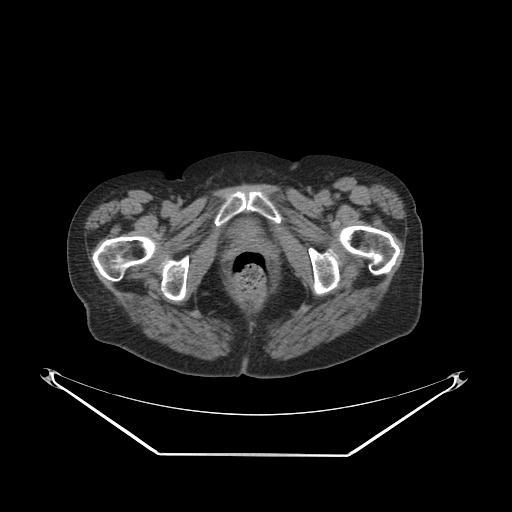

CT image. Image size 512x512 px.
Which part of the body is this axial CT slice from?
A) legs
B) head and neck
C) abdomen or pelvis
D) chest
Answer: C) abdomen or pelvis
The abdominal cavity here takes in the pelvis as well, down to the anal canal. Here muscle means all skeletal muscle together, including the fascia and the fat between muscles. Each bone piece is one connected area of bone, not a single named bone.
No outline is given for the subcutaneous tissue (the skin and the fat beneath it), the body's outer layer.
The abdominal cavity is outlined by 244,211 256,212 266,218 266,222 270,228 271,234 279,249 278,256 280,261 278,275 274,284 261,301 261,303 259,305 253,305 251,307 245,307 231,288 221,268 220,260 217,254 217,240 222,226 231,218. The torso is outlined by 235,150 264,151 292,160 310,153 355,158 379,165 405,183 422,223 424,256 421,313 410,333 343,363 281,378 182,374 91,335 66,261 69,224 83,198 116,175 159,168 170,178 178,178 195,161. The bones appear in 5 outlined pieces: piece 1: 121,235 125,236 132,236 133,235 147,236 155,241 156,243 156,249 153,254 153,256 151,258 144,263 130,266 125,271 123,277 119,281 115,282 108,280 100,274 94,264 94,262 92,259 92,254 104,240; piece 2: 351,225 369,225 381,229 384,231 389,232 391,234 395,242 399,247 399,254 396,258 395,263 388,272 379,275 373,275 368,269 368,260 365,257 357,254 352,254 348,252 343,247 338,239 338,234 342,228; piece 3: 238,190 245,193 252,190 260,190 262,191 280,213 282,216 282,220 279,223 276,223 272,219 267,218 256,211 244,210 231,217 222,225 220,226 215,225 213,221 220,206 225,200 225,195 228,193 231,193; piece 4: 311,246 321,253 328,248 332,248 338,255 338,258 340,261 340,264 339,265 340,280 338,283 338,286 328,292 326,292 320,295 316,295 313,292 313,284 314,283 313,269 312,268 310,256 308,252 308,248; piece 5: 186,254 189,255 189,265 188,266 188,272 187,273 187,279 186,280 186,293 185,294 185,297 182,300 170,300 166,298 163,295 160,289 160,284 162,277 160,273 159,266 166,258 171,258 175,260 179,260. The muscle is outlined by 349,174 361,174 396,189 408,223 404,256 371,315 340,336 287,360 271,358 264,349 267,325 286,309 297,307 304,297 301,282 285,260 279,294 264,307 249,334 246,320 223,289 213,262 197,288 198,306 208,315 228,321 237,340 229,354 206,360 144,336 97,278 87,257 86,218 105,195 123,188 148,189 186,207 210,190 244,182 300,191 with holes at 238,190 245,193 252,190 262,191 282,216 282,220 279,223 270,218 266,219 279,249 280,262 277,278 261,303 251,307 245,307 242,304 221,268 217,254 217,240 222,226 215,225 213,221 225,200 225,195 and at 121,235 125,236 132,236 133,235 147,236 155,241 156,243 156,249 153,254 153,256 151,258 144,263 130,266 125,271 123,277 119,281 115,282 108,280 100,274 94,264 94,262 92,259 92,254 104,240 and at 351,225 369,225 381,229 384,231 389,232 391,234 395,242 399,247 399,254 396,258 395,263 388,272 379,275 373,275 368,269 368,260 365,257 357,254 352,254 348,252 343,247 338,239 338,234 342,228 and at 311,246 321,253 328,248 332,248 338,255 338,258 340,261 340,264 339,265 340,280 338,283 338,286 328,292 326,292 320,295 316,295 313,292 313,284 314,283 313,269 312,268 310,256 308,252 308,248 and at 186,254 189,255 189,265 188,266 188,272 187,273 187,279 186,280 186,293 185,294 185,297 182,300 170,300 166,298 163,295 160,289 160,284 162,277 160,273 159,266 166,258 171,258 175,260 179,260.